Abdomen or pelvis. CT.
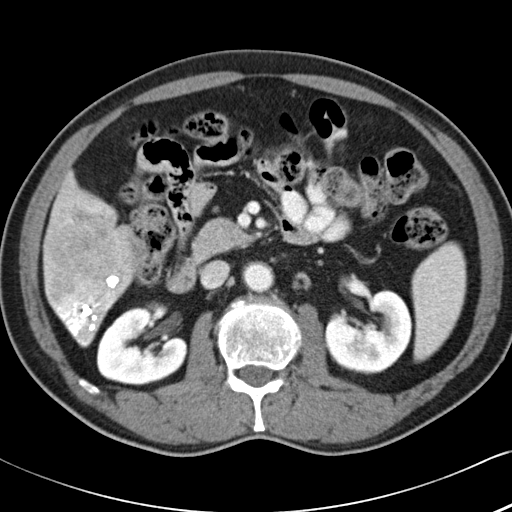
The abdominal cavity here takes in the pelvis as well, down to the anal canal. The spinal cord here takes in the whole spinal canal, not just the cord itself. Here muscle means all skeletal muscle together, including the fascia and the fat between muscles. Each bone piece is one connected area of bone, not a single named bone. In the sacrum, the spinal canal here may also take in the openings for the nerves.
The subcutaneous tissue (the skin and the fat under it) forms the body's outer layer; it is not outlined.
The abdominal cavity is outlined by 257 77; 388 108; 442 156; 477 234; 479 292; 462 347; 410 387; 371 391; 330 373; 313 305; 298 305; 294 317; 238 299; 214 326; 211 310; 197 317; 180 380; 138 390; 81 377; 52 330; 38 276; 46 216; 64 177; 131 107. The torso is outlined by 240 48; 338 59; 411 91; 469 138; 511 204; 511 345; 504 361; 459 405; 387 445; 335 456; 266 439; 190 457; 148 451; 94 430; 56 402; 30 376; 8 338; 0 311; 1 237; 18 189; 50 141; 93 101; 151 69; 199 53. The bones appear in 2 outlined pieces: piece 1: 238 300; 267 303; 283 308; 295 319; 301 332; 297 355; 283 370; 287 384; 282 385; 276 392; 267 393; 261 400; 260 409; 265 427; 263 431; 253 430; 255 411; 252 399; 243 392; 224 386; 227 366; 216 346; 216 323; 228 306; inner edge: 247 365; 254 365; 255 366; 263 366; 264 367; 266 367; 267 368; 270 369; 274 372; 274 376; 271 380; 266 382; 264 384; 263 384; 260 386; 253 386; 252 385; 247 383; 242 379; 241 379; 237 375; 237 372; 238 371; 238 370; piece 2: 79 378; 84 378; 86 380; 87 380; 88 381; 89 381; 91 383; 92 383; 93 384; 94 384; 100 390; 100 392; 97 394; 94 394; 93 393; 90 393; 89 392; 88 392; 83 387; 82 387; 78 383; 78 380; 79 379. The muscle is outlined by 215 71; 314 74; 365 86; 457 142; 490 195; 503 247; 500 309; 491 334; 478 357; 434 398; 381 433; 324 443; 264 431; 262 400; 288 384; 284 370; 302 344; 295 312; 305 303; 315 308; 327 369; 333 376; 389 394; 433 376; 458 354; 474 323; 480 258; 472 206; 443 156; 404 117; 383 105; 281 77; 245 77; 125 110; 92 139; 63 177; 45 216; 37 263; 39 293; 51 330; 80 377; 77 383; 88 393; 99 394; 97 386; 141 391; 180 381; 194 324; 211 311; 215 346; 226 366; 223 386; 251 399; 252 431; 215 442; 147 439; 72 394; 37 343; 21 292; 19 243; 28 204; 55 154; 80 128; 151 87. The spinal cord is outlined by 247 365; 254 365; 255 366; 263 366; 264 367; 266 367; 267 368; 270 369; 274 372; 274 376; 271 380; 266 382; 264 384; 263 384; 260 386; 253 386; 252 385; 247 383; 242 379; 241 379; 237 375; 237 372; 238 371; 238 370.